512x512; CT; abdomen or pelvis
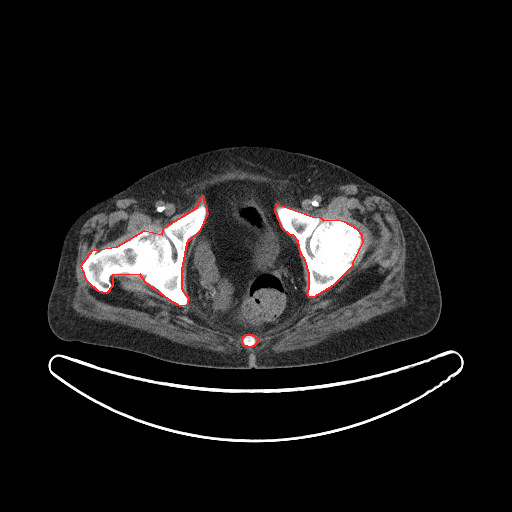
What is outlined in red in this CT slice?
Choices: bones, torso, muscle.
red: bones.
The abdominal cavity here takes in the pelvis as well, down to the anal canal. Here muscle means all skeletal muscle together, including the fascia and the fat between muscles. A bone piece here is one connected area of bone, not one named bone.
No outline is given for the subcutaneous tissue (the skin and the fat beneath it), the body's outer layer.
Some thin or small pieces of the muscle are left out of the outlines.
bones 1: 202 195; 207 213; 199 231; 186 243; 181 269; 181 288; 188 298; 186 305; 180 306; 168 299; 145 282; 140 274; 112 275; 112 286; 106 293; 98 291; 87 281; 81 265; 92 250; 117 246; 144 230; 162 234; 164 227; 197 207
bones 2: 276 203; 312 216; 320 217; 323 220; 337 219; 344 221; 356 228; 361 234; 362 242; 352 262; 352 266; 333 285; 313 297; 309 297; 307 294; 309 288; 309 273; 305 260; 300 252; 298 241; 293 235; 290 235; 282 228; 275 211
bones 3: 246 334; 251 334; 252 335; 253 335; 255 337; 256 337; 257 338; 257 339; 258 340; 259 340; 258 340; 256 342; 256 343; 253 346; 252 346; 251 347; 248 347; 247 346; 244 346; 242 343; 242 338; 243 337; 243 336; 244 336
muscle: 233 169; 288 181; 324 182; 339 186; 352 183; 382 195; 394 210; 406 242; 404 305; 317 344; 279 353; 214 351; 178 343; 139 328; 80 315; 73 307; 77 286; 75 263; 80 230; 89 218; 124 195; 147 193; 168 196; 190 182 with a hole at 232 180; 268 184; 277 204; 344 221; 362 240; 352 266; 313 297; 300 252; 304 302; 252 333; 253 346; 190 299; 195 234; 181 269; 184 306; 140 274; 112 275; 106 293; 87 281; 81 265; 92 250; 144 230; 162 234; 205 189
abdominal cavity: 232 180; 245 180; 269 185; 274 195; 274 211; 277 219; 281 228; 297 245; 301 260; 304 281; 302 288; 303 304; 293 317; 264 332; 237 332; 214 323; 193 303; 188 291; 187 272; 192 245; 208 213; 208 205; 203 192; 210 186
torso: 238 145; 280 148; 330 161; 355 173; 400 203; 421 228; 434 261; 441 291; 441 312; 432 330; 419 337; 333 362; 271 369; 218 369; 176 364; 133 351; 58 338; 48 324; 47 304; 62 240; 72 222; 87 208; 162 166; 203 151